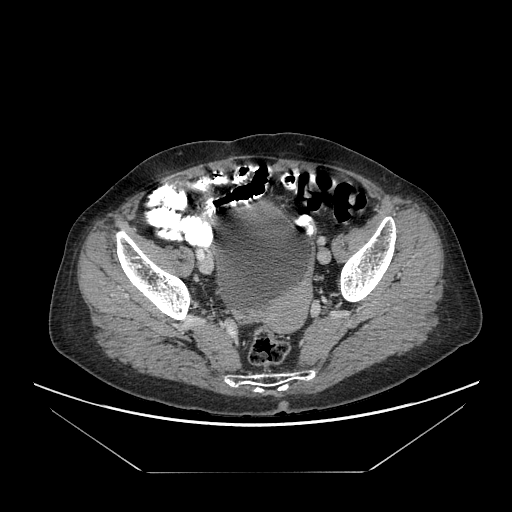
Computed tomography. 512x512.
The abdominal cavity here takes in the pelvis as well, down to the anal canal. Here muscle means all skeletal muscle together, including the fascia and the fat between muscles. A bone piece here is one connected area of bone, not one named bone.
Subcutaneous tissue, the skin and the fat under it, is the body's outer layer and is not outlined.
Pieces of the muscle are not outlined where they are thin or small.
{"torso":[[[284,131],[340,143],[381,163],[433,198],[454,229],[480,300],[482,326],[470,343],[379,394],[333,408],[281,411],[273,416],[213,415],[144,400],[103,383],[58,353],[48,333],[49,305],[67,234],[82,211],[137,164],[161,150],[197,140],[232,140]]],"bones":[[[121,229],[124,230],[126,232],[126,233],[137,244],[142,251],[152,261],[169,273],[179,277],[184,282],[190,294],[190,305],[187,312],[187,315],[184,319],[182,320],[175,320],[162,312],[129,280],[120,265],[116,252],[115,233],[116,231]],[[388,215],[390,215],[393,217],[396,226],[396,240],[394,246],[394,253],[391,259],[391,261],[378,283],[363,299],[356,302],[348,302],[340,292],[340,272],[342,266],[346,260],[370,238],[376,230],[382,219]],[[311,368],[316,371],[313,378],[309,380],[291,380],[287,389],[284,391],[268,387],[263,392],[255,392],[252,391],[253,387],[250,384],[240,384],[237,387],[233,387],[226,383],[223,379],[224,375],[230,373],[253,374],[262,372],[292,372]]],"abdominal_cavity":[[[253,158],[265,159],[280,171],[324,168],[347,173],[362,185],[372,202],[365,221],[333,237],[337,295],[304,330],[293,363],[280,371],[255,371],[244,364],[227,333],[190,293],[191,249],[156,242],[136,222],[141,200],[159,184],[178,177],[234,170]]],"muscle":[{"outer":[[238,155],[267,155],[317,161],[341,166],[361,174],[389,191],[406,197],[408,196],[422,203],[433,218],[444,250],[444,283],[439,322],[428,339],[422,345],[413,348],[403,355],[389,357],[319,392],[313,394],[292,394],[282,397],[271,395],[239,397],[220,394],[183,382],[139,373],[125,368],[107,357],[93,337],[94,332],[90,315],[81,296],[76,279],[76,264],[79,250],[90,228],[137,192],[170,175],[200,163]],"holes":[[[253,158],[265,159],[280,171],[324,168],[347,173],[372,202],[365,221],[333,237],[337,295],[304,330],[293,363],[280,371],[311,368],[316,374],[291,380],[284,391],[268,387],[255,392],[250,384],[226,383],[226,374],[262,372],[244,364],[227,333],[191,295],[184,319],[162,312],[129,280],[116,252],[115,233],[122,229],[152,261],[186,285],[194,265],[191,249],[147,237],[136,222],[141,200],[168,180],[234,170]],[[388,215],[390,215],[393,217],[396,226],[396,240],[394,246],[394,253],[391,259],[391,261],[378,283],[363,299],[356,302],[348,302],[340,292],[340,272],[342,266],[346,260],[370,238],[376,230],[382,219]]]}]}